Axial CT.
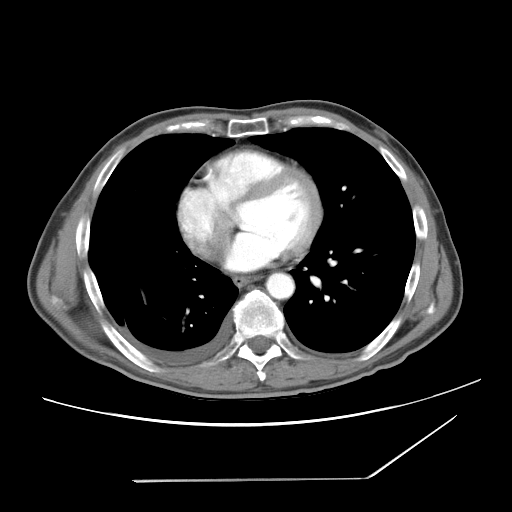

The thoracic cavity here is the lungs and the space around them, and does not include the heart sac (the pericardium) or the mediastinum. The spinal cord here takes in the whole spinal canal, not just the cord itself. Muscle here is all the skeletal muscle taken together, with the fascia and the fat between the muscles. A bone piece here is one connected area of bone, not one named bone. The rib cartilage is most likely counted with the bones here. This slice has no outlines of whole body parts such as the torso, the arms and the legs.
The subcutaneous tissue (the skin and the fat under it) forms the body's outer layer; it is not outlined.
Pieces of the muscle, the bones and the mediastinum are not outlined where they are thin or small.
{"spinal_cord":[[[258,335],[261,335],[262,336],[264,336],[265,337],[268,338],[270,340],[270,344],[269,345],[268,348],[264,352],[263,352],[262,353],[256,353],[255,352],[254,352],[253,351],[253,350],[249,346],[249,340],[251,338],[252,338],[255,336],[257,336]]],"pericardium":[[[240,144],[252,144],[294,159],[310,174],[315,183],[323,209],[323,217],[309,251],[295,263],[272,267],[255,273],[229,274],[194,255],[184,243],[180,235],[176,219],[176,208],[179,197],[185,186],[195,172],[208,159],[228,148]]],"thoracic_cavity":[[[173,133],[225,136],[234,142],[208,158],[193,173],[176,203],[176,225],[183,243],[194,256],[219,270],[237,288],[236,299],[230,308],[234,331],[229,341],[211,357],[185,365],[153,361],[118,331],[88,259],[96,203],[115,168],[142,142],[156,135]],[[296,127],[346,131],[369,144],[397,176],[411,207],[415,246],[403,297],[386,326],[368,343],[352,351],[329,353],[298,347],[284,329],[283,309],[297,289],[290,272],[310,251],[323,221],[324,209],[311,174],[294,158],[262,147],[253,142],[251,136]]],"muscle":[{"outer":[[289,107],[306,107],[307,108],[322,109],[336,113],[346,118],[361,129],[379,139],[384,143],[390,145],[395,149],[399,156],[405,163],[421,179],[435,221],[436,237],[439,243],[444,248],[453,277],[453,296],[451,304],[447,312],[441,319],[422,335],[412,340],[406,345],[375,361],[371,365],[364,367],[345,376],[332,379],[311,380],[307,384],[296,385],[283,388],[262,387],[253,391],[215,391],[214,390],[207,390],[199,387],[186,387],[155,377],[147,376],[132,370],[116,360],[108,357],[105,357],[103,355],[101,355],[99,353],[84,346],[74,339],[43,307],[36,292],[36,285],[35,284],[38,269],[52,242],[52,240],[57,236],[58,230],[63,224],[64,219],[66,216],[66,213],[68,212],[72,206],[72,204],[84,188],[86,182],[89,179],[100,161],[105,158],[117,145],[125,140],[136,136],[144,129],[157,122],[176,116],[191,113],[199,113],[200,112],[210,112],[211,113],[225,112],[230,114],[239,114],[240,115],[250,116],[257,112],[262,112],[272,109],[283,109]],"holes":[[[297,115],[343,122],[376,150],[382,146],[390,151],[406,174],[401,185],[410,206],[418,204],[425,213],[427,236],[415,239],[413,256],[419,277],[410,301],[403,297],[394,315],[401,317],[398,328],[361,361],[355,360],[361,348],[329,353],[299,347],[312,357],[307,359],[284,351],[264,365],[262,381],[256,367],[235,353],[209,366],[199,366],[200,361],[154,361],[160,372],[135,364],[101,326],[103,320],[113,326],[114,321],[106,308],[100,314],[96,310],[87,292],[83,271],[89,260],[78,255],[75,241],[79,219],[93,216],[98,199],[93,187],[103,166],[120,148],[127,154],[170,124],[206,118],[223,125],[230,118],[264,116],[274,133],[282,130],[278,119]],[[431,302],[433,302],[434,303],[434,311],[432,313],[431,313],[430,314],[429,314],[428,313],[427,313],[426,312],[426,309],[428,307],[428,306],[430,304],[430,303]]]}],"bones":[{"outer":[[253,289],[263,291],[275,302],[283,313],[283,329],[290,341],[312,357],[295,359],[284,351],[281,356],[271,358],[264,365],[262,370],[265,378],[262,381],[257,375],[256,367],[235,353],[213,365],[199,366],[230,341],[235,331],[231,308],[237,300]],"hole":[[258,335],[261,335],[262,336],[264,336],[265,337],[268,338],[270,340],[270,344],[269,345],[268,348],[264,352],[263,352],[262,353],[256,353],[255,352],[254,352],[253,351],[253,350],[249,346],[249,340],[251,338],[252,338],[255,336],[257,336]]},[[263,116],[266,117],[270,123],[270,132],[265,134],[253,134],[239,137],[228,137],[224,134],[214,136],[204,132],[173,132],[157,134],[159,131],[170,124],[184,121],[193,121],[206,118],[211,120],[217,125],[220,124],[223,125],[230,118],[248,119]],[[103,320],[106,320],[109,323],[110,323],[130,344],[131,344],[136,349],[141,352],[155,364],[159,366],[162,369],[162,371],[160,372],[152,372],[151,371],[149,371],[146,369],[144,369],[140,367],[127,358],[112,343],[104,332],[101,326],[101,321]],[[297,115],[322,115],[326,116],[343,122],[350,128],[351,131],[350,132],[346,130],[341,130],[333,127],[327,127],[326,126],[296,126],[291,127],[286,130],[282,130],[283,125],[280,123],[277,123],[277,120],[278,119],[283,119],[289,116],[296,116]],[[395,316],[400,316],[401,317],[401,322],[396,331],[393,334],[390,339],[385,344],[385,345],[384,345],[371,357],[365,360],[362,360],[361,361],[355,360],[356,357],[357,357],[360,354],[362,348],[368,344],[372,340],[373,340],[387,326],[387,325]],[[122,147],[124,147],[125,148],[125,154],[119,161],[117,165],[110,174],[108,179],[106,181],[105,184],[100,191],[98,196],[96,196],[94,194],[94,192],[93,191],[93,187],[100,171],[102,169],[103,166],[108,160],[108,159],[117,150]],[[84,215],[88,215],[91,219],[90,220],[90,229],[89,230],[89,246],[88,247],[88,251],[87,252],[87,257],[80,257],[77,253],[77,248],[76,247],[76,242],[75,241],[75,234],[76,233],[76,227],[79,221],[79,219],[82,216]],[[88,265],[92,270],[95,276],[95,278],[96,279],[99,290],[101,293],[101,295],[102,296],[102,298],[103,299],[103,301],[106,308],[103,308],[101,310],[101,313],[100,314],[96,310],[87,292],[87,290],[85,287],[84,280],[83,279],[83,271]],[[416,204],[418,204],[423,209],[425,213],[425,216],[426,217],[426,220],[427,221],[427,236],[426,238],[424,239],[417,239],[416,238],[416,235],[415,234],[415,227],[414,226],[414,221],[413,220],[413,214],[412,213],[412,207]],[[413,262],[418,262],[419,263],[419,277],[418,278],[418,281],[417,282],[415,290],[412,295],[412,297],[410,301],[407,302],[406,299],[404,298],[404,291],[405,290],[405,285],[407,281],[407,278],[409,275],[409,272],[411,269],[411,266]],[[379,146],[382,146],[386,148],[389,151],[390,151],[395,157],[395,158],[400,163],[400,164],[404,169],[404,171],[407,177],[405,181],[403,181],[402,182],[400,180],[398,176],[393,171],[393,170],[387,163],[383,156],[378,150],[378,147]]],"mediastinum":[[[297,262],[297,265],[292,268],[289,272],[295,280],[296,289],[293,295],[284,305],[282,310],[269,295],[259,288],[253,288],[246,292],[239,299],[237,299],[238,288],[228,276],[220,271],[229,275],[247,275],[255,274],[272,268],[295,264]]]}